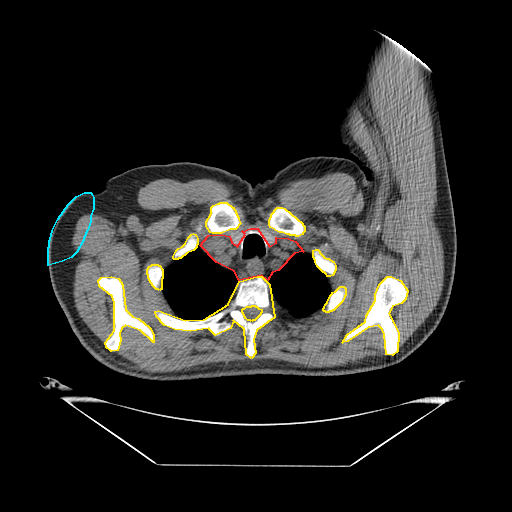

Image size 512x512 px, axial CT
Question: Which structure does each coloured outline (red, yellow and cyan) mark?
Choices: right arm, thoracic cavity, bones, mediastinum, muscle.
Answer: red: mediastinum; yellow: bones; cyan: right arm.
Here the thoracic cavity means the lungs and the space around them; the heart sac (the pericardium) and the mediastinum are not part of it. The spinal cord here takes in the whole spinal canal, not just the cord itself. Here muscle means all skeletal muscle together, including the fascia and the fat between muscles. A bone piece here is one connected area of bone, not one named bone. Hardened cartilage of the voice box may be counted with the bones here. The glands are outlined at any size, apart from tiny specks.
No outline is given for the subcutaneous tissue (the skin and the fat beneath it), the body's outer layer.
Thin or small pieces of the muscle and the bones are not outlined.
mediastinum: (250, 228) (257, 228) (269, 246) (276, 242) (276, 237) (288, 238) (295, 241) (303, 251) (294, 253) (278, 270) (272, 272) (267, 280) (261, 275) (239, 280) (234, 271) (216, 262) (200, 245) (208, 235) (221, 234) (229, 236) (231, 242) (237, 246) (245, 234) (242, 231)
bones 1: (257, 276) (261, 276) (269, 284) (274, 317) (256, 330) (253, 339) (255, 353) (251, 358) (246, 354) (244, 329) (233, 320) (230, 328) (215, 335) (208, 328) (190, 331) (174, 329) (164, 325) (156, 316) (155, 311) (158, 310) (185, 320) (204, 319) (228, 304) (239, 281) with a hole at (252, 305) (254, 305) (255, 306) (256, 306) (258, 308) (261, 309) (261, 312) (260, 313) (260, 314) (254, 320) (252, 320) (251, 321) (250, 320) (248, 320) (245, 318) (245, 317) (244, 316) (244, 315) (242, 312) (242, 309) (243, 308) (244, 308) (247, 306) (251, 306)
bones 2: (387, 276) (391, 276) (400, 280) (407, 290) (405, 299) (401, 303) (392, 306) (388, 313) (398, 332) (397, 351) (392, 355) (386, 354) (384, 334) (382, 329) (378, 325) (368, 327) (347, 341) (342, 342) (347, 334) (365, 321) (366, 315) (375, 300) (375, 294) (379, 284)
bones 3: (111, 276) (118, 278) (122, 284) (125, 309) (132, 316) (138, 318) (149, 327) (153, 334) (153, 342) (140, 330) (125, 325) (121, 328) (119, 333) (120, 340) (117, 350) (111, 351) (106, 347) (105, 342) (114, 330) (114, 302) (112, 296) (99, 286) (98, 280) (101, 277)
bones 4: (220, 202) (226, 202) (232, 207) (233, 207) (233, 208) (235, 210) (235, 212) (238, 217) (238, 219) (240, 223) (235, 229) (230, 229) (221, 233) (212, 233) (210, 232) (207, 228) (206, 226) (206, 221) (211, 213) (211, 207) (213, 205) (217, 203) (219, 203)
bones 5: (277, 207) (282, 207) (284, 208) (302, 223) (302, 224) (304, 226) (304, 231) (302, 233) (302, 234) (298, 236) (296, 236) (295, 235) (290, 235) (289, 234) (286, 234) (282, 232) (279, 232) (270, 227) (269, 225) (269, 219) (271, 216) (271, 214)
bones 6: (315, 249) (317, 249) (319, 251) (319, 252) (324, 257) (326, 258) (328, 258) (332, 261) (333, 261) (335, 265) (335, 270) (332, 275) (330, 276) (327, 276) (326, 274) (324, 272) (323, 272) (317, 266) (315, 262) (315, 260) (313, 257) (313, 250)
bones 7: (340, 286) (343, 286) (345, 288) (345, 295) (344, 296) (342, 301) (333, 310) (332, 310) (331, 311) (329, 311) (328, 312) (326, 312) (325, 311) (324, 311) (323, 310) (323, 308) (324, 307) (325, 304) (327, 302) (330, 295) (332, 293) (332, 292) (335, 291)
bones 8: (152, 264) (157, 264) (158, 265) (159, 265) (162, 269) (162, 278) (161, 279) (161, 289) (160, 289) (159, 290) (158, 289) (156, 289) (152, 285) (152, 284) (150, 282) (150, 281) (148, 278) (148, 275) (147, 274) (147, 269) (148, 268) (148, 267)
bones 9: (193, 233) (195, 234) (197, 238) (197, 244) (196, 245) (196, 247) (193, 250) (186, 253) (180, 258) (178, 258) (177, 259) (174, 259) (173, 258) (173, 256) (176, 250) (178, 248) (182, 246) (185, 243) (188, 237) (191, 234)
right arm: (84, 192) (90, 192) (91, 193) (93, 197) (93, 208) (90, 216) (90, 221) (87, 230) (85, 233) (85, 235) (83, 238) (83, 240) (76, 252) (71, 257) (62, 261) (48, 265) (48, 247) (49, 246) (49, 240) (50, 239) (52, 230) (58, 218) (68, 204) (76, 196)
left arm: (386, 36) (390, 36) (407, 47) (425, 64) (427, 71) (432, 76) (440, 115) (445, 160) (455, 217) (456, 261) (425, 253) (420, 248) (373, 195) (370, 170) (356, 156) (349, 152) (348, 148) (338, 139) (337, 128) (343, 116) (343, 107) (358, 85) (366, 56) (374, 43)
spinal cord: (252, 305) (254, 305) (255, 306) (256, 306) (258, 308) (261, 309) (261, 312) (260, 313) (260, 314) (254, 320) (252, 320) (251, 321) (250, 320) (248, 320) (245, 318) (245, 317) (244, 316) (244, 315) (242, 312) (242, 309) (243, 308) (244, 308) (247, 306) (251, 306)
thoracic cavity 1: (197, 246) (202, 251) (209, 255) (216, 263) (224, 269) (234, 272) (237, 276) (238, 281) (235, 285) (234, 288) (235, 291) (233, 296) (223, 308) (201, 319) (185, 319) (178, 317) (176, 315) (164, 294) (162, 289) (163, 271) (174, 260) (180, 259) (186, 254) (193, 251)
thoracic cavity 2: (304, 251) (312, 256) (316, 266) (327, 277) (331, 293) (323, 307) (314, 311) (309, 315) (303, 317) (295, 317) (291, 315) (286, 309) (281, 307) (272, 300) (270, 293) (270, 284) (268, 280) (269, 276) (272, 273) (278, 271) (283, 266) (284, 263) (288, 261) (294, 254)
muscle: (386, 36) (427, 70) (444, 251) (439, 299) (402, 347) (389, 313) (408, 290) (387, 275) (364, 321) (341, 340) (378, 326) (386, 355) (331, 367) (247, 359) (149, 372) (115, 352) (125, 326) (155, 338) (126, 309) (123, 284) (111, 275) (97, 280) (113, 302) (105, 348) (71, 293) (77, 220) (87, 213) (117, 225) (134, 214) (141, 218) (138, 191) (161, 178) (215, 179) (259, 203) (287, 182) (332, 172) (354, 177) (366, 210) (380, 182) (347, 124), around holes outlined by (220, 202) (233, 207) (240, 222) (222, 235) (257, 228) (295, 241) (312, 256) (317, 249) (335, 265) (327, 277) (330, 290) (345, 288) (333, 310) (326, 312) (322, 307) (303, 317) (291, 315) (272, 300) (274, 317) (256, 330) (251, 358) (246, 354) (244, 329) (233, 320) (218, 335) (208, 328) (184, 331) (164, 325) (155, 311) (177, 316) (147, 274) (152, 264) (163, 271) (169, 266) (191, 234) (199, 247) (212, 233) (206, 226) (211, 207) and by (277, 207) (282, 207) (284, 208) (302, 223) (302, 224) (304, 226) (304, 231) (302, 233) (302, 234) (298, 236) (296, 236) (295, 235) (290, 235) (289, 234) (286, 234) (282, 232) (279, 232) (270, 227) (269, 225) (269, 219) (271, 216) (271, 214)
thyroid glands 1: (259, 229) (263, 229) (264, 230) (266, 230) (268, 232) (274, 235) (276, 238) (275, 239) (275, 242) (273, 244) (271, 245) (269, 245) (268, 244) (268, 242) (266, 240) (264, 236) (262, 235) (262, 234) (259, 231)
thyroid glands 2: (239, 232) (244, 232) (244, 234) (241, 237) (241, 239) (240, 240) (240, 241) (239, 242) (239, 243) (237, 245) (236, 245) (235, 244) (234, 244) (232, 242) (232, 240) (231, 239) (231, 238) (230, 237) (230, 236) (232, 234) (235, 234) (236, 233) (238, 233)
torso: (317, 155) (360, 163) (372, 195) (419, 248) (455, 262) (445, 312) (410, 355) (385, 368) (345, 375) (159, 381) (116, 372) (82, 346) (56, 299) (48, 266) (77, 252) (91, 221) (92, 193) (101, 191) (110, 177) (137, 166) (189, 161) (223, 168) (254, 184) (292, 161)